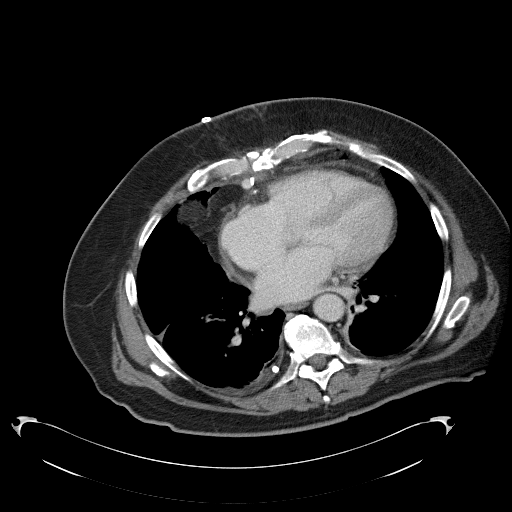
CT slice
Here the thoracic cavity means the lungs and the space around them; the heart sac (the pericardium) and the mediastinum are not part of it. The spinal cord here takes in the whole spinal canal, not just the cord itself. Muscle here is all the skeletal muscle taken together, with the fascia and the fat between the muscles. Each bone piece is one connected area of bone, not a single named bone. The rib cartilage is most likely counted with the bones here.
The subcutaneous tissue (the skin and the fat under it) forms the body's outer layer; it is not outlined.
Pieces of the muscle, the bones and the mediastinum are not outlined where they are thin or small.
The thoracic cavity appears in 2 outlined pieces: piece 1: 223 186; 239 187; 242 193; 219 227; 219 263; 230 282; 249 290; 249 299; 258 315; 269 315; 277 308; 284 313; 284 362; 263 388; 251 393; 224 393; 192 379; 150 333; 138 305; 136 270; 141 251; 158 223; 188 196; piece 2: 382 167; 411 183; 428 208; 436 233; 441 241; 443 273; 431 318; 424 330; 398 353; 383 357; 371 357; 349 347; 340 338; 338 331; 345 323; 348 315; 348 290; 374 266; 382 254; 390 247; 396 236; 398 228; 397 207; 381 170. The spinal cord is outlined by 315 354; 323 354; 324 355; 325 355; 327 357; 327 362; 326 363; 326 366; 324 368; 323 368; 320 370; 317 370; 316 369; 315 369; 314 368; 314 367; 312 365; 311 365; 308 363; 308 359; 310 357; 311 357; 313 355; 314 355. The mediastinum appears in 4 outlined pieces: piece 1: 333 150; 345 151; 380 166; 380 170; 385 181; 371 170; 342 161; 317 162; 284 168; 239 199; 227 213; 236 199; 243 193; 243 190; 239 186; 223 185; 213 187; 210 191; 202 189; 214 182; 256 173; 263 170; 270 170; 284 162; piece 2: 351 286; 353 286; 350 287; 346 292; 348 304; 347 315; 344 323; 337 331; 337 337; 334 336; 327 325; 319 319; 310 316; 306 313; 295 313; 288 318; 283 324; 285 313; 280 308; 278 308; 285 305; 304 302; 328 291; 341 290; piece 3: 218 241; 218 244; 219 245; 219 247; 221 251; 223 253; 225 258; 230 265; 236 277; 243 284; 243 285; 242 284; 239 284; 236 282; 230 281; 229 280; 219 260; 219 257; 218 256; 218 250; 217 249; 217 244; 218 243; piece 4: 250 295; 252 298; 252 300; 257 306; 258 306; 259 307; 261 307; 262 308; 265 308; 266 309; 274 309; 273 310; 273 311; 271 313; 270 313; 269 314; 258 314; 256 312; 256 306; 255 305; 254 305; 254 304; 250 299. The muscle appears in 3 outlined pieces: piece 1: 326 129; 375 144; 417 171; 442 194; 497 280; 499 301; 486 326; 444 358; 404 369; 350 401; 323 404; 305 411; 289 409; 272 415; 252 415; 193 408; 150 389; 119 381; 111 360; 114 287; 122 257; 149 209; 195 163; 218 158; 230 150; 260 146; 286 134; 291 134; 273 146; 248 150; 239 157; 223 157; 195 169; 185 183; 189 195; 163 216; 161 211; 155 211; 145 221; 137 239; 141 250; 135 274; 130 268; 125 271; 123 287; 129 306; 138 306; 149 331; 143 334; 145 343; 168 369; 154 361; 148 364; 149 369; 158 377; 171 371; 185 381; 193 380; 224 394; 251 394; 263 389; 278 374; 285 362; 286 344; 290 350; 287 364; 266 390; 271 392; 298 377; 315 382; 325 391; 331 376; 345 364; 381 363; 382 360; 373 358; 403 351; 431 319; 425 337; 433 333; 445 312; 453 277; 449 266; 444 269; 442 241; 449 239; 449 230; 439 207; 432 201; 426 205; 412 184; 415 176; 400 161; 370 151; 358 142; 343 142 with holes at 462 295; 465 295; 467 296; 470 300; 469 304; 465 312; 461 316; 461 317; 455 322; 454 326; 453 327; 451 328; 445 328; 443 327; 443 320; 446 314; 448 312; 448 311; 450 309; 450 308; 452 306; 454 302; 460 296 and at 324 394; 325 394; 326 394; 327 395; 328 396; 329 397; 329 398; 330 399; 329 400; 329 401; 329 402; 328 403; 327 403; 326 403; 325 402; 324 401; 323 400; 323 399; 323 398; 323 397; 323 396; 323 395; piece 2: 314 144; 321 144; 322 145; 327 145; 328 144; 339 145; 340 144; 344 144; 346 145; 347 149; 350 152; 348 152; 345 150; 333 149; 332 150; 323 151; 308 156; 304 156; 303 157; 300 157; 299 158; 282 162; 298 154; 308 152; piece 3: 338 336; 339 338; 349 348; 354 350; 358 353; 360 353; 366 356; 359 356; 358 355; 355 355; 354 354; 351 354; 349 353; 349 352; 344 348; 341 342; 339 340; 335 338; 337 338. The pericardium is outlined by 328 162; 342 162; 364 168; 376 174; 386 183; 397 212; 397 228; 393 241; 373 266; 353 285; 341 289; 328 290; 304 301; 285 304; 276 308; 259 306; 253 300; 250 290; 237 277; 220 247; 218 238; 222 222; 239 200; 279 171. The torso is outlined by 302 96; 361 102; 417 123; 458 156; 501 210; 509 229; 508 290; 501 327; 485 371; 470 381; 436 385; 341 422; 286 434; 204 436; 141 421; 98 391; 66 335; 63 289; 74 248; 114 187; 154 144; 185 126; 242 105. The bones appear in 9 outlined pieces: piece 1: 322 129; 343 143; 352 141; 400 162; 414 176; 412 183; 351 152; 344 143; 314 143; 308 151; 270 169; 253 172; 249 168; 226 179; 213 176; 194 193; 186 189; 187 180; 195 170; 217 160; 239 158; 252 150; 260 152; 292 134; piece 2: 299 313; 315 318; 327 326; 334 338; 349 354; 382 361; 372 364; 345 363; 342 369; 330 376; 325 390; 322 390; 315 381; 297 376; 280 387; 268 391; 267 389; 279 377; 289 361; 288 352; 291 350; 282 336; 282 327; 288 319 with a hole at 315 354; 323 354; 324 355; 325 355; 327 357; 327 362; 326 363; 326 366; 324 368; 323 368; 320 370; 317 370; 316 369; 315 369; 314 368; 314 367; 312 365; 311 365; 308 363; 308 359; 310 357; 311 357; 313 355; 314 355; piece 3: 448 267; 451 269; 452 277; 451 278; 451 287; 450 288; 448 299; 446 303; 446 306; 437 326; 432 333; 428 337; 426 337; 427 331; 433 321; 432 319; 432 314; 434 311; 437 298; 439 294; 439 291; 441 287; 444 270; piece 4: 145 333; 149 333; 161 345; 165 351; 171 357; 171 358; 173 359; 179 369; 189 377; 190 377; 191 379; 189 381; 185 380; 176 374; 173 371; 170 370; 161 362; 161 361; 153 353; 153 352; 146 343; 145 339; 144 338; 144 334; piece 5: 462 295; 465 295; 467 296; 470 300; 469 304; 465 312; 461 316; 461 317; 455 322; 454 326; 453 327; 451 328; 445 328; 443 327; 443 320; 446 314; 448 312; 448 311; 450 309; 450 308; 452 306; 454 302; 460 296; piece 6: 431 202; 434 203; 438 207; 445 221; 445 223; 446 224; 446 226; 448 230; 448 239; 446 241; 444 240; 441 240; 437 233; 437 231; 436 230; 435 225; 433 222; 433 220; 431 217; 431 214; 430 213; 429 207; 428 206; piece 7: 155 212; 161 212; 162 213; 162 217; 157 223; 157 224; 149 235; 149 236; 148 237; 147 240; 145 242; 143 247; 141 249; 140 249; 138 246; 138 239; 139 238; 139 235; 140 234; 146 221; 148 219; 148 218; 153 213; 154 213; piece 8: 128 269; 130 269; 132 271; 135 277; 135 285; 136 286; 136 291; 137 292; 137 306; 135 306; 134 307; 130 306; 129 302; 128 301; 128 299; 127 298; 127 296; 126 295; 126 293; 125 292; 125 288; 124 287; 125 273; piece 9: 151 362; 154 362; 155 363; 158 364; 161 367; 162 367; 163 368; 164 368; 165 369; 168 370; 169 371; 169 374; 168 374; 167 375; 165 375; 164 376; 158 376; 156 374; 155 374; 150 369; 150 368; 149 367; 149 364.